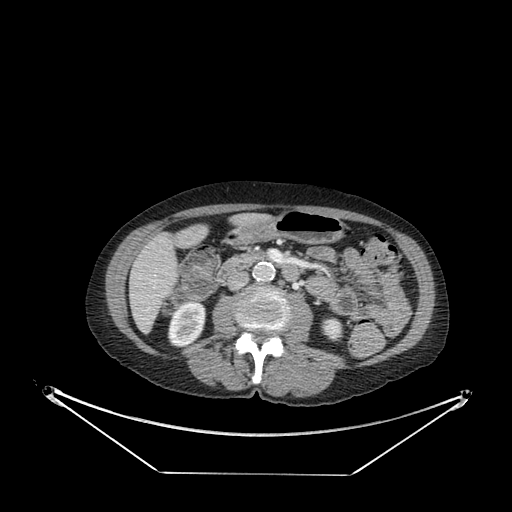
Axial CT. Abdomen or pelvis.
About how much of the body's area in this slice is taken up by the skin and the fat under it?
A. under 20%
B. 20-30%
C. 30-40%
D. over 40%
B. 20-30%
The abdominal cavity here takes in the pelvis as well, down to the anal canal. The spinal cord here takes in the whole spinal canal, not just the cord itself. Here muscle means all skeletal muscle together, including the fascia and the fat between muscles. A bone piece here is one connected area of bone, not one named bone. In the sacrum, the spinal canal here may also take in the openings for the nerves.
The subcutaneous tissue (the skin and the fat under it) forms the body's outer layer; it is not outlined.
{"abdominal_cavity":[[[278,208],[371,224],[393,237],[418,287],[415,313],[403,337],[349,363],[341,354],[307,343],[314,313],[304,295],[270,284],[251,284],[239,295],[222,295],[211,310],[212,333],[177,353],[157,349],[138,335],[130,323],[125,285],[142,243],[180,220]]],"muscle":[[[219,203],[334,207],[367,215],[408,235],[423,250],[435,283],[435,305],[423,337],[386,360],[340,371],[327,388],[315,395],[273,396],[265,392],[258,385],[266,356],[278,358],[285,353],[278,333],[291,318],[286,294],[302,294],[313,313],[306,343],[341,355],[352,364],[383,352],[404,337],[416,313],[419,287],[402,248],[377,225],[303,209],[256,208],[188,217],[167,225],[141,243],[129,264],[124,285],[133,330],[153,348],[173,354],[210,336],[216,303],[224,295],[238,295],[234,319],[243,330],[233,347],[239,355],[251,354],[253,385],[237,391],[212,387],[195,378],[185,363],[142,351],[119,331],[108,313],[105,274],[114,252],[131,231],[142,225],[181,210]]],"torso":[[[238,179],[339,189],[365,197],[412,223],[431,245],[446,283],[449,330],[437,358],[369,393],[334,404],[304,407],[274,404],[256,392],[250,398],[208,399],[166,390],[110,357],[92,335],[84,310],[88,280],[103,246],[124,223],[169,196],[207,183]]],"spinal_cord":[[[254,329],[264,329],[267,331],[271,331],[273,334],[272,335],[272,336],[271,336],[270,337],[269,337],[266,340],[265,340],[263,342],[262,342],[260,344],[259,344],[258,343],[257,343],[253,339],[253,335],[252,334],[252,333],[251,332],[251,331]]],"bones":[{"outer":[[251,285],[270,285],[283,290],[291,307],[288,322],[277,333],[282,340],[284,353],[278,357],[271,354],[265,356],[258,384],[254,384],[251,380],[255,366],[252,354],[250,352],[239,354],[234,347],[236,339],[244,330],[235,319],[236,303],[240,293]],"hole":[[254,329],[264,329],[267,331],[271,331],[273,334],[272,335],[272,336],[271,336],[270,337],[269,337],[266,340],[265,340],[263,342],[262,342],[260,344],[259,344],[258,343],[257,343],[253,339],[253,335],[252,334],[252,333],[251,332],[251,331]]}]}